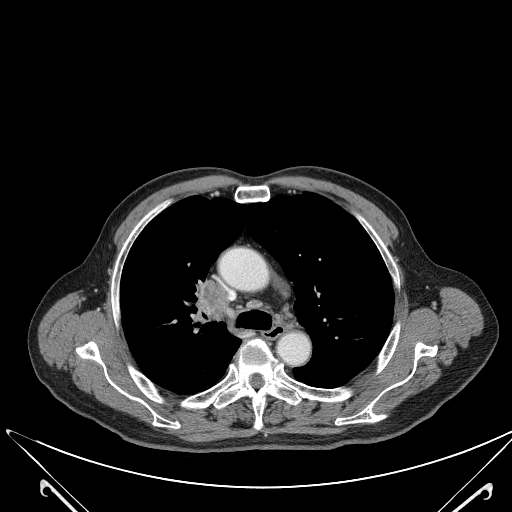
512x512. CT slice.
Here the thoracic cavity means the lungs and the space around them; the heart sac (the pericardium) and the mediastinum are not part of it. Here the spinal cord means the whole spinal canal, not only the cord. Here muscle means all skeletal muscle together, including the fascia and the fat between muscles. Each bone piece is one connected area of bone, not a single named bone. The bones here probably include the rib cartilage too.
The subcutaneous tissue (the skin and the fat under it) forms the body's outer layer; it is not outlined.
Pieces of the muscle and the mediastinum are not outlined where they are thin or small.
{"thoracic_cavity":[[[302,191],[350,213],[391,278],[392,325],[374,360],[335,387],[289,374],[311,359],[312,340],[295,313],[294,283],[245,227],[205,276],[209,314],[241,340],[225,374],[188,395],[157,386],[139,369],[121,322],[122,272],[140,233],[192,195],[249,204]]],"muscle":[{"outer":[[210,174],[225,174],[250,183],[237,185],[232,197],[217,189],[176,201],[173,197],[161,200],[135,223],[113,263],[112,318],[115,328],[122,329],[137,365],[127,361],[125,366],[134,384],[151,401],[166,403],[160,389],[185,396],[177,404],[187,410],[211,405],[220,410],[248,398],[254,415],[252,427],[260,431],[268,397],[292,406],[303,399],[343,402],[354,394],[353,387],[346,384],[373,362],[373,375],[378,375],[393,356],[402,326],[400,319],[393,323],[394,290],[399,291],[401,283],[388,246],[360,212],[354,209],[349,212],[323,194],[282,189],[271,195],[269,185],[262,182],[280,175],[325,179],[374,203],[398,230],[394,248],[404,272],[409,310],[428,307],[438,313],[440,289],[455,287],[479,305],[484,318],[482,331],[459,350],[436,382],[404,400],[389,419],[339,433],[259,432],[247,437],[192,442],[157,431],[98,401],[79,389],[67,373],[46,363],[38,347],[39,323],[58,299],[77,290],[86,294],[82,309],[100,307],[106,298],[107,269],[116,252],[114,234],[130,211],[165,186]],"holes":[[[418,341],[427,345],[437,345],[437,352],[434,356],[421,356],[413,375],[406,382],[385,392],[374,404],[373,410],[376,413],[385,413],[388,416],[373,423],[358,422],[335,425],[334,421],[337,417],[360,411],[382,390],[409,374],[413,366],[415,344]],[[89,341],[96,343],[100,357],[106,366],[107,373],[114,383],[129,394],[145,401],[161,416],[172,421],[178,421],[180,427],[167,428],[152,425],[153,416],[143,404],[130,399],[112,386],[106,379],[102,366],[95,360],[80,357],[76,353],[76,347]]]}],"spinal_cord":[[[255,373],[257,373],[258,374],[260,374],[261,375],[261,376],[264,381],[263,384],[260,387],[259,387],[258,388],[255,388],[254,387],[253,387],[250,384],[250,383],[249,382],[249,380],[250,379],[250,377],[251,376],[251,375],[252,374],[254,374]]],"mediastinum":[[[245,228],[248,235],[280,264],[286,277],[293,283],[294,313],[310,337],[312,353],[307,363],[295,367],[291,373],[285,370],[284,365],[263,339],[254,337],[242,342],[228,330],[224,322],[214,319],[210,314],[212,294],[206,284],[207,273],[219,254]]],"torso":[[[296,165],[343,171],[382,191],[404,212],[427,255],[470,277],[491,305],[499,336],[490,357],[432,416],[374,443],[194,453],[126,441],[70,409],[40,382],[27,349],[32,315],[48,288],[82,262],[124,197],[146,181],[181,168],[215,166],[255,176]]],"bones":[{"outer":[[254,338],[263,340],[284,370],[297,381],[319,388],[351,386],[352,396],[336,402],[303,398],[296,405],[268,396],[260,430],[253,427],[255,415],[248,397],[241,397],[220,409],[212,404],[191,409],[179,406],[178,401],[182,398],[220,381],[240,345]],"hole":[[255,373],[257,373],[258,374],[260,374],[261,375],[261,376],[264,381],[263,384],[260,387],[259,387],[258,388],[255,388],[254,387],[253,387],[250,384],[250,383],[249,382],[249,380],[250,379],[250,377],[251,376],[251,375],[252,374],[254,374]]},[[167,198],[173,198],[175,201],[162,210],[146,224],[134,240],[123,264],[123,268],[121,272],[121,277],[119,283],[119,309],[120,310],[121,327],[119,329],[117,329],[115,326],[112,307],[111,306],[112,274],[115,260],[124,241],[136,223],[151,208]],[[418,341],[427,345],[437,345],[437,352],[434,356],[421,356],[413,375],[406,382],[385,392],[374,404],[373,410],[376,413],[385,413],[388,416],[373,423],[358,422],[335,425],[334,421],[337,417],[360,411],[382,390],[409,374],[413,366],[415,344]],[[89,341],[96,343],[100,357],[106,366],[107,373],[114,383],[129,394],[145,401],[161,416],[172,421],[178,421],[180,427],[167,428],[152,425],[153,416],[143,404],[130,399],[112,386],[106,379],[102,366],[95,360],[80,357],[76,353],[76,347]],[[352,210],[357,211],[360,213],[371,224],[371,225],[387,246],[397,269],[398,277],[399,278],[399,282],[400,283],[400,289],[399,290],[394,289],[392,278],[381,256],[381,254],[379,250],[365,229],[361,225],[358,220],[351,213],[351,211]],[[262,183],[265,183],[266,184],[267,184],[270,189],[270,198],[267,201],[265,201],[264,202],[250,202],[249,203],[239,203],[238,202],[236,202],[234,200],[234,199],[233,198],[233,195],[234,194],[234,191],[235,190],[236,187],[240,184],[261,184]],[[127,362],[130,362],[134,366],[135,366],[145,376],[146,376],[157,387],[159,388],[160,392],[164,396],[166,400],[165,403],[158,403],[155,401],[151,400],[149,398],[148,398],[138,388],[129,374],[129,372],[126,366],[126,363]],[[397,320],[400,320],[401,322],[401,326],[400,327],[399,338],[398,339],[395,350],[389,361],[383,369],[378,374],[374,375],[374,370],[375,369],[375,363],[374,361],[377,355],[381,350],[383,345],[385,343],[389,335],[389,333],[392,328],[393,324]]]}